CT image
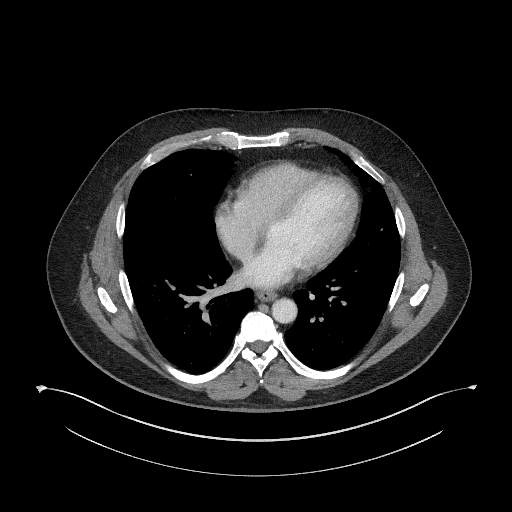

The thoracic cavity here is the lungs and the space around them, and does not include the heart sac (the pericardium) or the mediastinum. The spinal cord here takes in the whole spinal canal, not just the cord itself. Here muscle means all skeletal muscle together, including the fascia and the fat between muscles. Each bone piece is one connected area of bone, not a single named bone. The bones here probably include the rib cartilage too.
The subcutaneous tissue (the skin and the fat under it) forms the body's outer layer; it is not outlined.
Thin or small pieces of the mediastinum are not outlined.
{"torso":[[[245,413],[329,406],[365,396],[404,378],[435,352],[467,301],[472,277],[469,253],[435,184],[397,134],[365,115],[328,107],[262,111],[198,107],[150,116],[123,132],[103,152],[52,234],[46,257],[50,296],[67,336],[88,361],[117,382],[160,400]]],"bones":[{"outer":[[190,384],[216,378],[238,357],[255,368],[260,383],[263,371],[277,356],[296,373],[311,379],[343,376],[357,362],[352,360],[326,371],[306,366],[288,349],[271,318],[257,311],[245,316],[230,351],[213,369],[194,375],[167,362],[162,364],[173,377]],"hole":[[258,356],[260,356],[260,355],[261,354],[261,353],[266,348],[266,347],[267,346],[267,344],[266,344],[265,343],[264,343],[261,341],[256,341],[254,343],[253,343],[250,345],[248,345],[251,348],[251,349],[252,349],[257,354],[257,355]]},[[142,170],[156,163],[171,149],[177,147],[203,143],[210,143],[233,151],[246,148],[280,147],[289,144],[293,138],[293,134],[289,130],[278,131],[268,135],[244,135],[235,131],[222,130],[187,141],[173,142],[163,145],[153,152],[146,154],[140,166]],[[382,185],[383,185],[385,183],[385,180],[384,178],[374,168],[374,167],[362,156],[357,154],[353,150],[349,150],[348,152],[348,155],[353,161],[353,162],[357,166],[358,166],[361,169],[362,169],[366,173],[367,173]],[[131,313],[133,313],[135,311],[133,298],[131,294],[131,291],[129,287],[129,284],[128,283],[128,280],[127,279],[126,274],[123,269],[120,269],[118,272],[118,281],[119,282],[119,286],[120,287],[120,290],[121,291],[123,299],[129,311]],[[388,312],[390,312],[392,311],[402,291],[402,288],[404,284],[404,272],[403,271],[400,271],[396,279],[396,281],[395,282],[395,284],[394,285],[394,287],[393,288],[392,293],[390,296],[390,298],[388,302],[388,307],[387,308],[387,311]],[[119,239],[121,239],[122,238],[122,235],[123,234],[123,232],[124,231],[124,227],[125,226],[125,203],[124,202],[121,202],[119,204],[119,205],[117,208],[117,211],[116,212],[116,217],[115,218],[115,230],[116,231],[116,235],[117,236],[117,237]],[[113,314],[117,311],[117,308],[116,307],[116,306],[110,298],[108,293],[105,290],[105,289],[102,287],[98,287],[96,290],[97,291],[97,294],[98,295],[98,297],[100,300],[100,302],[101,303],[101,304],[108,312],[109,312],[110,313],[112,313]],[[401,239],[403,239],[403,238],[405,236],[405,234],[406,233],[406,224],[405,223],[405,219],[404,218],[404,216],[401,209],[396,205],[394,207],[394,213],[395,214],[395,219],[396,220],[397,228],[398,229],[398,231],[399,232],[399,234],[400,235]],[[412,307],[415,307],[416,306],[419,305],[419,304],[422,301],[422,300],[424,298],[424,297],[429,288],[429,286],[428,285],[428,284],[426,284],[425,283],[424,284],[421,285],[415,292],[415,293],[410,297],[410,298],[409,299],[409,304]]],"spinal_cord":[[[258,356],[260,356],[260,355],[261,354],[261,353],[266,348],[266,347],[267,346],[267,344],[266,344],[265,343],[264,343],[261,341],[256,341],[254,343],[253,343],[250,345],[248,345],[251,348],[251,349],[252,349],[257,354],[257,355]]],"mediastinum":[[[363,199],[363,190],[358,178],[335,154],[330,152],[326,147],[318,147],[305,150],[258,148],[236,151],[237,168],[235,174],[228,184],[235,180],[240,174],[245,172],[252,165],[263,159],[279,157],[298,157],[328,163],[339,168],[351,178],[360,191]],[[283,332],[292,325],[297,315],[297,306],[291,296],[292,292],[295,289],[298,289],[303,284],[291,289],[281,290],[256,289],[245,284],[248,287],[250,287],[254,292],[255,303],[251,311],[257,310],[263,311],[264,313],[272,318],[277,326],[277,330]]],"muscle":[{"outer":[[287,402],[346,382],[415,336],[445,304],[446,274],[426,249],[411,208],[385,170],[329,132],[314,127],[284,129],[294,138],[281,148],[329,146],[347,154],[353,149],[385,178],[390,201],[402,209],[407,224],[400,266],[405,272],[403,291],[393,311],[385,312],[354,358],[358,364],[343,377],[311,380],[277,357],[264,371],[260,384],[254,368],[238,358],[208,383],[182,383],[161,367],[166,361],[136,311],[131,314],[122,299],[117,281],[117,272],[123,268],[122,245],[115,235],[115,212],[121,201],[126,203],[142,171],[147,152],[153,151],[173,141],[229,129],[211,127],[164,139],[153,145],[132,164],[111,190],[81,261],[80,302],[108,339],[181,387],[203,391],[216,401],[244,399],[262,388]],"holes":[[[113,314],[117,311],[117,308],[116,307],[116,306],[110,298],[108,293],[105,290],[105,289],[102,287],[98,287],[96,290],[97,291],[97,294],[98,295],[98,297],[100,300],[100,302],[101,303],[101,304],[108,312],[109,312],[110,313],[112,313]],[[412,307],[415,307],[416,306],[419,305],[419,304],[422,301],[422,300],[424,298],[424,297],[429,288],[429,286],[428,285],[428,284],[426,284],[425,283],[424,284],[421,285],[415,292],[415,293],[410,297],[410,298],[409,299],[409,304]]]},[[164,157],[165,157],[173,151],[176,151],[177,150],[184,149],[187,147],[218,147],[217,146],[214,146],[213,145],[211,145],[210,144],[203,144],[202,145],[193,145],[192,146],[190,146],[189,147],[183,147],[182,148],[177,148],[176,149],[171,150]]],"pericardium":[[[269,289],[291,288],[305,282],[335,261],[349,247],[355,238],[361,219],[363,200],[350,178],[339,169],[328,164],[298,158],[263,160],[252,166],[226,187],[219,198],[215,207],[214,221],[220,245],[232,266],[233,272],[249,285],[256,288]]],"thoracic_cavity":[[[194,374],[213,368],[224,358],[241,320],[252,309],[254,303],[252,290],[232,272],[215,231],[214,207],[236,168],[235,152],[222,148],[187,148],[171,153],[138,176],[126,204],[126,226],[122,239],[123,261],[135,308],[145,331],[162,356],[177,368]],[[320,370],[347,363],[370,339],[386,310],[401,258],[401,240],[393,207],[383,186],[357,167],[346,154],[329,147],[328,149],[352,170],[362,184],[362,219],[357,236],[350,247],[331,266],[293,292],[298,315],[293,325],[284,333],[289,349],[303,363]]]}